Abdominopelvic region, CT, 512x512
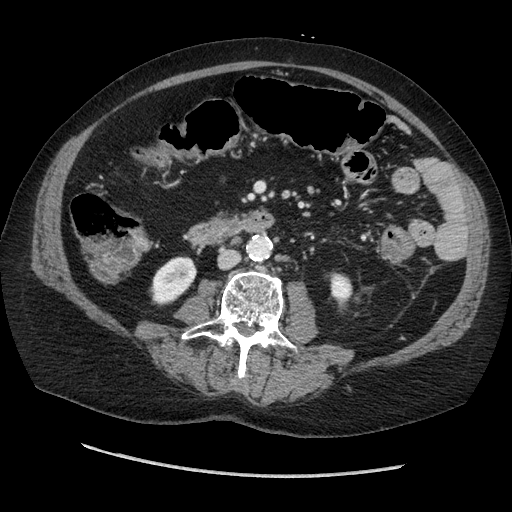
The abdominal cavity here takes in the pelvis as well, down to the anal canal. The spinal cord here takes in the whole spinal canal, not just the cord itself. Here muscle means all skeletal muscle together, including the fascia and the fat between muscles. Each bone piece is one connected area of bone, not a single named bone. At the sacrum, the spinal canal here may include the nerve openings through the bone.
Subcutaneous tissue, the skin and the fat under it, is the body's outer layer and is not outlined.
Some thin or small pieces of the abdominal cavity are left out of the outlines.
{"bones":[{"outer":[[249,270],[263,271],[281,279],[285,306],[278,328],[298,351],[279,345],[269,345],[266,348],[253,345],[246,358],[245,376],[234,381],[239,365],[239,346],[236,342],[220,346],[205,335],[182,339],[181,334],[217,317],[220,313],[222,291],[230,274]],"hole":[[239,322],[244,322],[246,323],[246,324],[248,326],[252,326],[254,324],[255,324],[258,327],[260,327],[261,328],[256,330],[253,333],[253,334],[249,336],[245,336],[241,334],[238,331],[237,328],[234,325],[235,323],[238,323]]}],"muscle":[{"outer":[[246,60],[291,62],[302,65],[312,65],[313,66],[326,67],[347,73],[377,87],[396,99],[425,123],[435,134],[456,163],[472,178],[482,196],[486,208],[488,224],[489,225],[489,233],[490,234],[490,252],[489,253],[489,263],[488,264],[486,283],[479,303],[478,309],[471,323],[471,326],[466,330],[463,335],[458,340],[448,346],[444,346],[439,349],[427,352],[418,357],[413,358],[407,363],[388,368],[370,369],[350,374],[340,380],[337,380],[333,385],[318,397],[299,405],[293,405],[283,408],[267,408],[266,407],[256,406],[253,405],[246,397],[240,393],[231,393],[225,396],[221,396],[214,399],[204,399],[197,396],[191,391],[184,389],[181,385],[176,384],[173,381],[161,376],[155,370],[145,356],[134,345],[125,338],[108,329],[106,329],[90,319],[72,302],[65,298],[53,288],[45,285],[36,276],[31,269],[31,244],[32,243],[35,204],[37,195],[46,171],[56,153],[62,145],[73,135],[82,131],[103,114],[109,111],[126,98],[158,81],[184,72],[188,72],[224,63],[245,61]],"hole":[[268,66],[343,81],[433,142],[465,190],[469,243],[433,325],[367,360],[310,343],[316,308],[288,281],[278,328],[298,351],[253,345],[234,381],[236,342],[181,338],[219,315],[224,282],[199,280],[181,326],[131,331],[74,281],[62,198],[128,103]]}],"torso":[[[260,36],[338,45],[397,69],[450,114],[485,161],[505,209],[511,238],[511,272],[495,346],[462,405],[381,431],[303,438],[225,420],[187,424],[130,421],[44,392],[30,377],[6,313],[0,238],[14,194],[43,144],[90,97],[137,65],[199,43]]],"abdominal_cavity":[[[268,66],[374,96],[435,144],[465,190],[459,291],[390,353],[352,362],[351,348],[310,343],[319,328],[305,283],[283,287],[263,270],[230,273],[224,285],[203,277],[174,313],[181,326],[141,319],[132,331],[72,277],[62,198],[94,130],[154,91]]],"spinal_cord":[[[239,322],[244,322],[246,323],[246,324],[248,326],[252,326],[254,324],[255,324],[258,327],[260,327],[261,328],[256,330],[253,333],[253,334],[249,336],[245,336],[241,334],[238,331],[237,328],[234,325],[235,323],[238,323]]]}